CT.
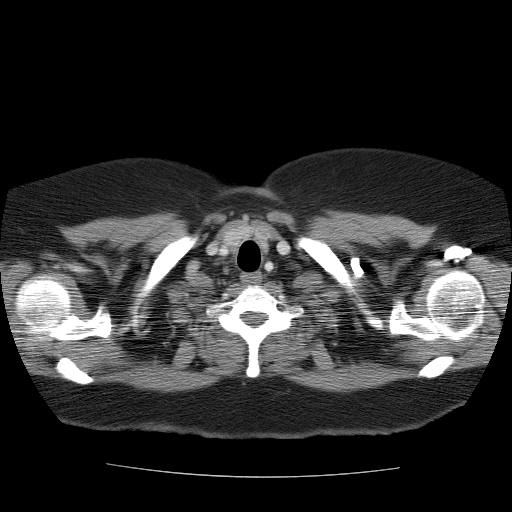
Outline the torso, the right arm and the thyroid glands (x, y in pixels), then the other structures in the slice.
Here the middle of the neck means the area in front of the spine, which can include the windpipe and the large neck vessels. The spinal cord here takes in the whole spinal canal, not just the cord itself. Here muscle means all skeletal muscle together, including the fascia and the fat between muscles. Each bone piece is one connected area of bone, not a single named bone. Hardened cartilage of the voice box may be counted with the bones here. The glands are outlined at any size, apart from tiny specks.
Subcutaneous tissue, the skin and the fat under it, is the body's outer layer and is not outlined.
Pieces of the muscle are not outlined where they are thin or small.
Outlined structures:
torso 1: [[342,146],[379,146],[419,152],[460,164],[481,174],[478,176],[452,259],[441,309],[446,363],[469,396],[461,406],[435,421],[417,429],[390,435],[312,436],[327,389],[342,367],[359,326],[359,317],[352,277],[352,263],[333,201],[292,158],[312,151]]
torso 2: [[126,155],[165,156],[204,168],[198,172],[194,183],[183,200],[167,212],[143,299],[162,370],[195,418],[204,422],[213,438],[165,432],[101,431],[68,425],[58,418],[45,400],[61,374],[59,363],[59,304],[63,271],[69,247],[59,171],[91,161]]
right arm: [[58,171],[68,247],[62,271],[58,304],[58,363],[60,374],[45,399],[40,393],[28,372],[18,349],[16,338],[11,329],[10,320],[8,317],[6,302],[4,297],[2,274],[0,273],[0,239],[2,237],[4,209],[10,187],[13,185],[39,178]]
thyroid glands: [[240,226],[249,226],[254,228],[259,228],[268,232],[271,236],[271,239],[269,241],[270,242],[270,246],[268,252],[265,253],[263,251],[262,247],[252,234],[244,239],[239,244],[234,252],[231,251],[230,246],[225,243],[222,239],[232,229]]
left arm: [[481,175],[483,175],[501,187],[507,208],[507,214],[509,222],[509,237],[511,240],[511,306],[499,334],[497,345],[492,355],[489,358],[477,383],[473,388],[471,393],[469,394],[447,363],[442,309],[444,304],[453,259],[477,185],[477,182],[479,176]]
spinal cord: [[246,312],[252,312],[253,313],[264,313],[267,315],[267,318],[262,323],[261,323],[260,324],[259,324],[256,326],[251,326],[250,325],[249,325],[248,324],[247,324],[244,321],[243,321],[243,320],[241,318],[241,317],[240,316],[242,314],[243,314]]
bones 1: [[454,270],[464,270],[475,276],[488,304],[483,323],[470,336],[460,340],[391,335],[386,322],[380,330],[366,323],[356,305],[356,300],[361,300],[375,316],[387,320],[393,304],[401,300],[406,311],[418,318],[426,313],[425,297],[434,279]]
bones 2: [[36,274],[49,275],[65,286],[70,295],[71,311],[81,319],[91,318],[95,314],[98,306],[102,303],[110,314],[112,323],[112,332],[110,335],[107,338],[88,336],[76,340],[48,340],[40,337],[17,322],[18,319],[14,310],[15,292],[24,280]]
bones 3: [[247,285],[261,285],[278,298],[289,304],[299,304],[304,309],[304,316],[293,318],[289,328],[271,332],[261,341],[257,354],[260,372],[256,377],[248,377],[245,372],[248,365],[248,346],[245,340],[237,333],[220,327],[205,315],[208,304],[233,298]]; inner edge: [[246,312],[252,312],[253,313],[264,313],[267,315],[267,318],[262,323],[261,323],[260,324],[259,324],[256,326],[251,326],[250,325],[249,325],[248,324],[247,324],[244,321],[243,321],[243,320],[241,318],[241,317],[240,316],[242,314],[243,314]]
bones 4: [[193,233],[197,233],[198,234],[198,239],[195,244],[176,263],[176,264],[166,274],[166,275],[151,290],[151,291],[147,296],[145,295],[140,295],[140,288],[143,285],[154,260],[162,251],[162,250],[170,242],[186,234],[192,234]]
bones 5: [[299,236],[308,236],[314,239],[318,239],[323,241],[331,249],[342,263],[344,268],[346,270],[346,272],[350,280],[352,282],[351,286],[348,287],[345,285],[342,285],[338,282],[335,278],[328,273],[304,249],[301,247],[299,247],[297,243],[297,238]]
bones 6: [[63,357],[67,357],[69,358],[73,362],[74,362],[79,368],[85,371],[93,378],[94,380],[93,382],[89,384],[80,384],[79,383],[74,382],[71,380],[69,380],[62,377],[62,376],[56,370],[55,366],[56,365],[56,363],[61,358]]
bones 7: [[445,355],[451,355],[453,356],[455,358],[455,362],[451,364],[449,366],[449,367],[447,369],[446,369],[442,374],[438,376],[433,377],[432,378],[425,378],[424,377],[417,377],[416,376],[419,370],[430,360],[435,357],[437,357],[438,356],[444,356]]
middle of the neck: [[251,235],[265,254],[270,250],[271,240],[285,240],[291,250],[288,255],[282,257],[277,262],[277,269],[274,273],[259,284],[246,285],[226,269],[226,265],[221,258],[208,255],[206,248],[208,244],[221,239],[229,246],[230,251],[234,253],[240,244]]
head and neck: [[289,159],[291,159],[332,201],[351,263],[351,277],[358,326],[340,369],[326,389],[311,436],[291,439],[214,438],[205,422],[196,418],[163,370],[144,298],[168,212],[184,200],[195,183],[200,171],[207,169],[229,179],[257,183],[273,168]]
muscle: [[239,202],[291,208],[299,216],[321,208],[398,214],[419,224],[437,223],[438,239],[506,260],[511,264],[511,306],[492,355],[481,366],[448,374],[456,358],[438,355],[416,373],[424,378],[348,393],[302,386],[281,376],[224,378],[205,388],[161,393],[120,382],[92,383],[94,378],[67,356],[54,368],[71,381],[30,374],[11,329],[0,261],[36,261],[46,252],[61,252],[64,239],[57,225],[166,210],[195,219]], around holes outlined by [[240,226],[263,229],[272,240],[289,244],[289,254],[259,284],[304,309],[304,316],[293,318],[289,328],[271,332],[261,341],[256,377],[248,377],[245,372],[245,340],[205,315],[208,304],[233,298],[246,286],[226,269],[221,258],[206,253],[208,244]] and by [[454,270],[464,270],[475,276],[488,304],[483,323],[470,336],[460,340],[391,335],[386,322],[380,330],[366,323],[356,305],[356,300],[361,300],[375,316],[387,320],[393,304],[401,300],[406,311],[418,318],[426,313],[425,297],[434,279]] and by [[36,274],[49,275],[65,286],[70,295],[71,311],[81,319],[91,318],[95,314],[98,306],[102,303],[110,314],[112,323],[112,332],[110,335],[107,338],[88,336],[76,340],[48,340],[40,337],[17,322],[18,319],[14,310],[15,292],[24,280]] and by [[193,233],[197,233],[198,234],[198,239],[195,244],[176,263],[176,264],[166,274],[166,275],[151,290],[151,291],[147,296],[145,295],[140,295],[140,288],[143,285],[154,260],[162,251],[162,250],[170,242],[186,234],[192,234]] and by [[299,236],[308,236],[314,239],[318,239],[323,241],[331,249],[342,263],[344,268],[346,270],[346,272],[350,280],[352,282],[351,286],[348,287],[345,285],[342,285],[338,282],[335,278],[328,273],[304,249],[301,247],[299,247],[297,243],[297,238]]